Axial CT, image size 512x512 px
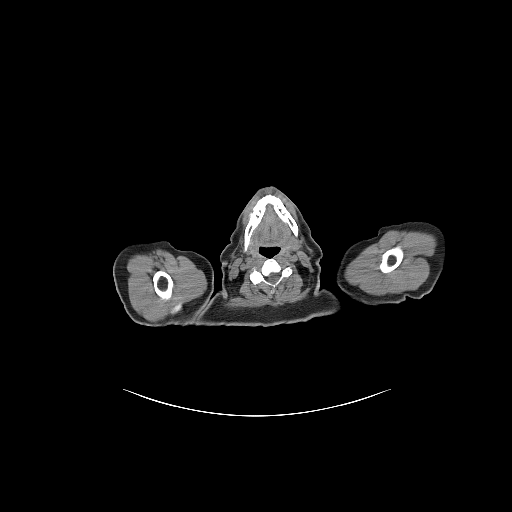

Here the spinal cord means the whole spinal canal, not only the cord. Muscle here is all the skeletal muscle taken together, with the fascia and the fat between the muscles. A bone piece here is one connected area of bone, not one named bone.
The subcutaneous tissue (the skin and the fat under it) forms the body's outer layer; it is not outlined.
{"left_arm":[[[412,220],[425,220],[434,223],[442,230],[447,241],[447,254],[443,270],[434,287],[429,293],[420,299],[407,297],[400,303],[367,305],[351,298],[338,287],[335,281],[336,269],[342,255],[349,246],[362,239],[367,239],[375,236],[379,228],[382,226]]],"muscle":[{"outer":[[264,190],[276,190],[291,204],[294,208],[298,217],[302,233],[305,238],[305,240],[307,244],[313,250],[313,281],[312,282],[312,289],[310,293],[310,297],[301,301],[298,301],[294,303],[286,303],[284,305],[280,306],[265,305],[256,308],[244,308],[243,309],[233,309],[232,310],[222,308],[221,304],[228,297],[229,294],[228,286],[227,285],[228,258],[234,248],[237,245],[244,213],[249,205],[255,199],[255,197]],"holes":[[[266,194],[275,195],[282,201],[297,224],[298,234],[297,236],[295,236],[289,226],[278,216],[274,210],[273,206],[271,204],[267,204],[265,207],[265,210],[261,220],[252,232],[247,250],[244,251],[244,232],[248,223],[249,214],[252,211],[256,202]],[[275,247],[279,248],[279,251],[272,256],[282,265],[289,266],[292,271],[290,275],[284,277],[280,281],[275,288],[275,291],[272,292],[271,286],[263,282],[254,284],[250,280],[249,276],[252,268],[254,266],[258,268],[267,257],[260,253],[260,248]]]},{"outer":[[393,229],[396,230],[424,230],[433,233],[437,237],[436,256],[431,263],[430,273],[427,279],[415,290],[406,290],[400,293],[388,293],[383,295],[372,295],[365,293],[348,283],[344,277],[344,270],[346,266],[364,248],[373,243],[377,242],[385,232]],"hole":[[397,246],[399,246],[402,249],[403,251],[403,257],[400,263],[397,267],[396,267],[390,272],[388,272],[387,273],[384,273],[382,272],[379,269],[379,264],[381,261],[381,256],[382,254],[388,249],[390,248],[392,248],[393,247],[396,247]]},{"outer":[[155,249],[166,250],[189,258],[199,269],[204,272],[207,280],[207,289],[203,295],[196,301],[196,303],[191,307],[181,313],[169,316],[163,320],[153,322],[138,314],[131,305],[127,289],[128,273],[126,270],[126,263],[127,260],[134,254],[147,253]],"holes":[[[158,270],[162,270],[163,271],[165,271],[170,276],[170,277],[173,281],[173,288],[172,289],[172,295],[170,299],[168,300],[163,300],[161,299],[155,292],[155,290],[154,289],[154,286],[153,285],[153,275],[154,273]],[[179,303],[180,303],[181,304],[181,305],[182,306],[182,307],[181,308],[181,309],[177,313],[174,313],[173,314],[172,313],[171,313],[171,310],[172,309],[172,308],[175,305],[176,305],[177,304],[178,304]]]}],"spinal_cord":[[[271,273],[279,273],[279,276],[278,277],[278,278],[274,282],[271,282],[270,281],[269,281],[268,280],[267,280],[266,279],[266,277],[267,276],[268,276]]],"right_arm":[[[158,240],[166,240],[170,242],[175,248],[180,250],[195,251],[205,256],[212,264],[214,270],[213,292],[208,304],[196,317],[191,325],[183,327],[176,325],[150,327],[135,323],[126,313],[116,291],[112,268],[113,262],[120,250],[132,243],[151,242]]],"head_and_neck":[{"outer":[[271,185],[281,190],[301,211],[312,237],[322,250],[319,285],[335,294],[343,303],[343,309],[336,314],[314,317],[305,322],[267,327],[192,325],[209,304],[214,290],[216,292],[221,286],[219,256],[229,242],[240,212],[259,188]],"hole":[[275,247],[276,248],[277,247],[278,248],[279,248],[279,251],[278,251],[277,252],[277,253],[276,253],[275,254],[274,254],[272,256],[271,256],[270,257],[267,257],[265,255],[264,255],[263,254],[262,254],[261,253],[260,253],[260,248],[274,248]]}],"bones":[[[266,194],[275,195],[282,201],[297,224],[298,234],[297,236],[295,236],[289,226],[278,216],[274,210],[273,206],[271,204],[267,204],[265,207],[265,210],[261,220],[252,232],[247,250],[244,251],[244,232],[248,223],[249,214],[252,211],[256,202]],{"outer":[[271,257],[273,257],[282,265],[289,266],[292,271],[290,275],[287,277],[284,277],[280,281],[275,288],[274,292],[271,291],[272,290],[271,286],[263,282],[254,284],[250,280],[249,277],[252,271],[252,268],[254,266],[258,268],[266,258]],"hole":[[271,273],[279,273],[279,276],[278,277],[278,278],[274,282],[271,282],[270,281],[269,281],[268,280],[267,280],[266,279],[266,277],[267,276],[268,276]]},[[158,270],[162,270],[163,271],[165,271],[170,276],[170,277],[173,281],[173,288],[172,289],[172,295],[170,299],[168,300],[163,300],[161,299],[155,292],[155,290],[154,289],[154,286],[153,285],[153,275],[154,273]],[[397,246],[399,246],[402,249],[403,251],[403,257],[400,263],[397,267],[396,267],[390,272],[388,272],[387,273],[384,273],[382,272],[379,269],[379,264],[381,261],[381,256],[382,254],[388,249],[390,248],[392,248],[393,247],[396,247]],[[179,303],[180,303],[181,304],[181,305],[182,306],[182,307],[181,308],[181,309],[177,313],[174,313],[173,314],[172,313],[171,313],[171,310],[172,309],[172,308],[175,305],[176,305],[177,304],[178,304]]]}